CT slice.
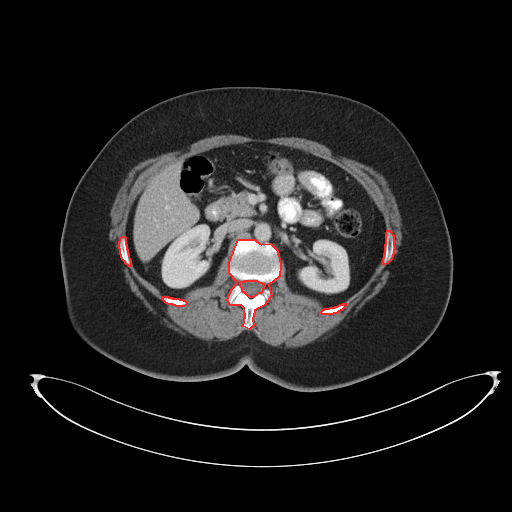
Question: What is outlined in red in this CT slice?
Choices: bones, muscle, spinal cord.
Answer: red: bones.
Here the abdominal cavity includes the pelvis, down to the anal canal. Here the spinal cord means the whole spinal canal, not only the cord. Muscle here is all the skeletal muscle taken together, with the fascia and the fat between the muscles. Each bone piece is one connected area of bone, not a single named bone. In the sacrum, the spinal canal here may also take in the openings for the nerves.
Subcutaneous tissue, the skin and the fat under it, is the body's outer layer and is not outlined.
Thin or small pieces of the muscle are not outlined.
{"bones":[{"outer":[[238,239],[253,239],[261,244],[270,243],[277,250],[280,264],[279,276],[268,285],[271,295],[264,305],[254,310],[252,319],[253,325],[249,329],[243,326],[245,316],[244,308],[241,305],[230,305],[227,300],[231,289],[237,282],[229,273],[229,262]],"hole":[[245,280],[256,280],[259,282],[261,282],[262,283],[263,283],[264,284],[264,286],[262,289],[262,291],[260,293],[258,293],[252,297],[250,297],[249,296],[248,296],[244,292],[243,292],[242,291],[242,288],[240,285],[240,282],[241,281],[244,281]]},[[387,230],[390,230],[390,231],[393,235],[393,244],[394,245],[394,249],[393,250],[393,254],[392,255],[392,257],[391,259],[387,263],[385,264],[383,264],[383,258],[384,257],[384,253],[385,252],[385,244],[386,243],[386,232]],[[122,236],[124,236],[125,237],[125,243],[126,244],[126,248],[127,249],[128,256],[130,260],[130,266],[129,266],[125,263],[125,262],[122,259],[121,257],[121,255],[120,254],[120,249],[119,248],[119,241],[120,240],[120,238]],[[163,296],[167,296],[168,297],[171,297],[172,298],[178,298],[179,299],[182,299],[183,300],[184,300],[186,302],[186,304],[183,306],[176,306],[175,305],[173,305],[172,304],[168,304],[167,303],[166,303],[162,299],[162,298],[163,297]],[[343,303],[345,303],[345,305],[344,306],[344,307],[341,310],[340,310],[335,313],[333,313],[332,314],[322,314],[320,312],[323,309],[324,309],[325,308],[329,308],[330,307],[334,307],[335,306],[337,306],[338,305],[339,305],[340,304],[342,304]]],"muscle":[{"outer":[[221,134],[235,134],[236,135],[241,135],[242,136],[246,136],[252,138],[261,138],[262,139],[274,138],[275,137],[290,137],[292,136],[293,137],[301,137],[302,138],[313,140],[325,145],[335,154],[347,158],[350,158],[359,162],[361,162],[366,165],[371,166],[374,169],[383,174],[388,180],[392,187],[392,189],[394,192],[395,197],[399,206],[399,211],[401,216],[402,240],[401,241],[398,254],[395,257],[392,263],[390,275],[387,280],[387,282],[385,286],[377,295],[369,303],[361,309],[343,327],[331,335],[320,340],[316,343],[305,345],[301,347],[294,347],[293,348],[277,347],[265,343],[263,341],[260,340],[252,332],[249,331],[243,331],[237,336],[225,341],[211,341],[209,342],[205,340],[199,340],[198,339],[183,337],[174,333],[157,320],[132,292],[124,280],[120,263],[118,260],[117,255],[109,240],[109,212],[116,191],[124,179],[129,169],[140,161],[142,161],[147,158],[153,157],[162,153],[166,153],[170,151],[180,150],[200,139],[213,136],[214,135],[220,135]],"hole":[[252,143],[298,149],[336,165],[365,190],[385,231],[392,233],[391,259],[383,264],[381,258],[341,310],[322,314],[325,308],[317,299],[293,292],[280,259],[279,276],[268,285],[271,295],[254,310],[253,325],[246,329],[244,308],[227,300],[237,282],[229,273],[231,252],[209,285],[174,297],[184,300],[183,306],[166,303],[166,295],[131,260],[129,266],[122,259],[120,238],[126,236],[134,201],[150,180],[189,157]]}],"torso":[[[224,86],[296,88],[346,96],[384,114],[410,143],[443,210],[453,254],[453,281],[435,332],[396,366],[350,385],[314,392],[282,387],[246,365],[221,378],[170,381],[107,358],[71,327],[64,302],[60,239],[81,176],[114,133],[141,111],[182,93]]],"spinal_cord":[[[245,280],[256,280],[259,282],[261,282],[262,283],[263,283],[264,284],[264,286],[262,289],[262,291],[260,293],[258,293],[252,297],[250,297],[249,296],[248,296],[244,292],[243,292],[242,291],[242,288],[240,285],[240,282],[241,281],[244,281]]],"abdominal_cavity":[[[252,143],[286,146],[329,161],[355,179],[379,210],[385,227],[383,256],[368,280],[342,303],[324,307],[313,297],[293,292],[277,248],[253,238],[238,238],[222,258],[213,281],[181,296],[162,293],[135,268],[126,226],[134,201],[150,180],[189,157]]]}